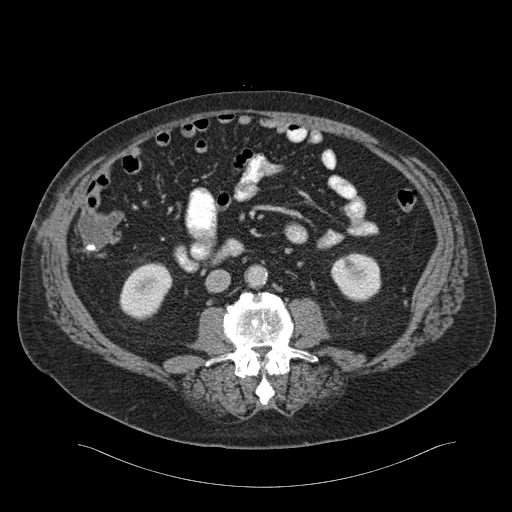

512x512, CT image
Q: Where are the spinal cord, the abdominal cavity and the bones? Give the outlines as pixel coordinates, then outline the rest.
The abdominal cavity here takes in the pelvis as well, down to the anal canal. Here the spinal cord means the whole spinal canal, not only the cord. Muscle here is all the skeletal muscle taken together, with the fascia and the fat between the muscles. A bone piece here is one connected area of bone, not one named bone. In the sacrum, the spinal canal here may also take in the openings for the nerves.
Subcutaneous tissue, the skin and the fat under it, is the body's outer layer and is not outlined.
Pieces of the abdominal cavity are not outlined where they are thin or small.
A: {"spinal_cord":[[[263,346],[268,346],[269,347],[270,347],[270,349],[264,355],[264,356],[262,358],[260,358],[260,355],[257,352],[256,352],[253,349],[253,348],[254,347],[262,347]]],"abdominal_cavity":[[[224,113],[357,141],[418,189],[436,242],[413,289],[408,324],[385,350],[375,356],[322,345],[330,333],[316,301],[296,297],[286,305],[266,290],[206,307],[188,346],[195,353],[161,365],[101,331],[68,272],[67,233],[86,182],[156,132]]],"bones":[{"outer":[[244,291],[255,294],[266,291],[279,296],[293,322],[289,344],[318,358],[315,362],[292,358],[287,373],[268,375],[274,394],[265,406],[255,393],[259,374],[237,376],[235,364],[229,359],[205,365],[208,359],[235,349],[224,333],[223,317],[226,306]],"hole":[[263,346],[268,346],[269,347],[270,347],[270,349],[264,355],[264,356],[262,358],[260,358],[260,355],[257,352],[256,352],[253,349],[253,348],[254,347],[262,347]]}],"torso":[[[251,89],[320,95],[386,121],[428,147],[455,177],[471,206],[495,296],[491,345],[483,359],[436,402],[390,428],[282,449],[181,443],[139,431],[87,408],[38,370],[22,348],[16,321],[22,246],[48,184],[68,158],[100,131],[140,112],[195,95]]],"muscle":[{"outer":[[237,108],[297,112],[343,122],[364,130],[374,137],[380,139],[404,152],[411,154],[421,161],[431,169],[447,187],[458,207],[465,233],[465,244],[467,255],[467,274],[463,304],[460,311],[453,320],[453,323],[444,332],[441,337],[435,341],[431,342],[420,352],[414,355],[407,361],[400,363],[396,366],[384,371],[376,371],[367,374],[363,374],[350,379],[348,381],[344,393],[337,400],[325,408],[313,410],[305,407],[300,412],[291,417],[283,415],[274,409],[264,409],[263,410],[262,409],[259,410],[250,418],[242,422],[220,423],[212,420],[194,410],[183,401],[166,384],[158,381],[155,378],[133,372],[109,363],[100,354],[94,353],[81,345],[73,342],[70,339],[54,321],[54,317],[49,310],[45,295],[45,288],[42,280],[42,272],[40,262],[42,253],[42,245],[38,241],[38,230],[41,226],[43,220],[48,216],[53,209],[54,204],[56,202],[56,193],[58,190],[72,176],[94,159],[109,150],[125,143],[134,136],[159,124],[165,123],[196,112],[204,112],[222,109],[236,109]],"hole":[[224,113],[268,116],[363,144],[418,189],[436,236],[413,289],[406,328],[375,356],[322,345],[330,333],[319,304],[310,297],[289,301],[289,344],[318,360],[292,358],[287,373],[268,375],[274,394],[265,406],[255,393],[259,374],[237,376],[229,359],[205,365],[235,349],[224,333],[224,307],[206,307],[199,314],[197,337],[188,346],[195,353],[177,354],[159,365],[101,331],[68,272],[68,229],[94,172],[162,129]]}]}